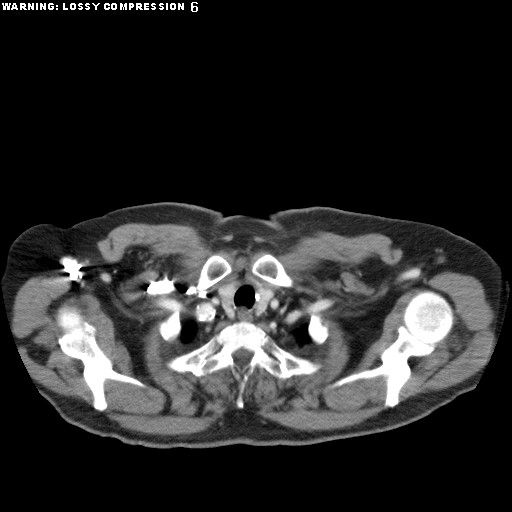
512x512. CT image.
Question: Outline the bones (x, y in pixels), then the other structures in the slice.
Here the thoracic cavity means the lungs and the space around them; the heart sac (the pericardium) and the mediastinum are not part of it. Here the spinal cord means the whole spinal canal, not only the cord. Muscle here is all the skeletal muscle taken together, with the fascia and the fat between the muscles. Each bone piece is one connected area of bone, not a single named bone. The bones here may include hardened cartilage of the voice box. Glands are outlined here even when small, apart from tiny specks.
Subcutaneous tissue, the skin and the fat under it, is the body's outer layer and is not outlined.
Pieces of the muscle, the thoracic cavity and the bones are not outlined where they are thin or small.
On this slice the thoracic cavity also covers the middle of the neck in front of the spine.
Answer: Outlines (x, y in pixels):
bones 1: (239, 321) (256, 324) (281, 347) (296, 356) (320, 363) (320, 368) (311, 374) (292, 375) (282, 379) (257, 366) (245, 384) (242, 408) (236, 406) (239, 381) (228, 367) (201, 376) (196, 376) (190, 371) (178, 372) (170, 369) (166, 365) (170, 358) (189, 352) (225, 326), around a hole outlined by (240, 348) (243, 348) (244, 349) (245, 349) (252, 353) (252, 355) (251, 356) (249, 361) (246, 364) (245, 364) (244, 365) (242, 365) (241, 366) (240, 365) (238, 365) (235, 362) (235, 360) (233, 357) (233, 353) (235, 351) (236, 351) (238, 349) (239, 349)
bones 2: (424, 290) (437, 292) (448, 301) (453, 312) (453, 326) (429, 354) (408, 359) (410, 376) (400, 389) (399, 402) (392, 407) (385, 407) (386, 386) (382, 376) (326, 388) (352, 373) (379, 366) (382, 363) (381, 352) (398, 336) (397, 329) (403, 323) (405, 307) (412, 297)
bones 3: (63, 305) (79, 310) (83, 318) (95, 327) (96, 342) (112, 362) (112, 368) (115, 371) (139, 380) (146, 387) (107, 379) (104, 382) (107, 407) (103, 411) (95, 409) (92, 405) (92, 392) (83, 377) (83, 363) (65, 354) (58, 343) (62, 329) (57, 324) (56, 313)
bones 4: (264, 253) (268, 253) (269, 254) (271, 254) (273, 256) (274, 256) (283, 265) (286, 272) (290, 276) (293, 281) (292, 286) (290, 287) (278, 286) (272, 283) (270, 283) (268, 281) (266, 281) (254, 275) (252, 273) (251, 269) (252, 268) (252, 265) (253, 263) (262, 254)
bones 5: (214, 254) (221, 254) (227, 260) (227, 261) (231, 266) (231, 272) (214, 284) (200, 291) (196, 289) (196, 283) (197, 282) (197, 279) (198, 278) (198, 276) (199, 275) (200, 270) (202, 266) (206, 261) (206, 260) (211, 255) (213, 255)
bones 6: (173, 310) (178, 310) (179, 312) (179, 318) (180, 319) (180, 322) (181, 323) (181, 330) (180, 331) (179, 336) (178, 336) (173, 341) (167, 341) (165, 340) (160, 334) (159, 332) (159, 329) (158, 328) (158, 323) (160, 321) (165, 319) (168, 316) (169, 316) (173, 312)
bones 7: (312, 313) (314, 313) (315, 314) (319, 315) (322, 318) (323, 321) (324, 322) (326, 322) (328, 324) (328, 335) (326, 339) (323, 342) (323, 343) (319, 345) (317, 345) (312, 342) (308, 334) (308, 330) (307, 328) (308, 327) (308, 323) (309, 322) (309, 320)
thoracic cavity: (240, 274) (261, 282) (245, 278) (256, 290) (258, 316) (266, 311) (275, 292) (307, 323) (311, 342) (278, 341) (266, 323) (248, 320) (218, 321) (204, 342) (183, 342) (182, 322) (196, 314) (201, 291) (217, 288) (223, 311) (234, 316) (233, 294) (241, 282) (233, 279)
spinal cord: (240, 348) (243, 348) (244, 349) (245, 349) (252, 353) (252, 355) (251, 356) (249, 361) (246, 364) (245, 364) (244, 365) (242, 365) (241, 366) (240, 365) (238, 365) (235, 362) (235, 360) (233, 357) (233, 353) (235, 351) (236, 351) (238, 349) (239, 349)
right arm: (77, 222) (77, 225) (82, 232) (84, 243) (89, 257) (89, 264) (91, 269) (90, 292) (76, 321) (24, 364) (20, 353) (18, 351) (10, 327) (2, 289) (2, 277) (5, 269) (8, 248) (12, 241) (21, 232) (32, 225) (39, 223) (53, 223) (61, 227) (69, 227)
torso: (158, 201) (193, 203) (226, 215) (259, 218) (282, 209) (320, 205) (419, 221) (405, 263) (406, 287) (415, 317) (449, 362) (478, 382) (470, 391) (406, 425) (305, 445) (152, 448) (102, 437) (66, 422) (39, 392) (25, 365) (77, 321) (91, 292) (90, 257) (78, 222)
thyroid glands 1: (232, 280) (238, 280) (240, 283) (234, 290) (232, 294) (232, 305) (233, 306) (233, 309) (234, 310) (234, 314) (232, 317) (230, 317) (227, 315) (224, 311) (224, 309) (222, 306) (222, 303) (221, 302) (221, 298) (218, 293) (218, 288) (221, 285) (225, 284)
thyroid glands 2: (246, 278) (248, 278) (251, 280) (254, 280) (257, 282) (259, 282) (271, 288) (271, 289) (273, 290) (273, 292) (274, 293) (273, 294) (273, 296) (269, 300) (265, 311) (260, 315) (258, 315) (256, 313) (257, 290) (256, 288) (249, 281) (248, 281) (246, 279)
left arm: (420, 221) (444, 227) (455, 234) (462, 236) (476, 243) (483, 248) (495, 260) (507, 276) (508, 296) (504, 316) (495, 345) (480, 378) (477, 378) (464, 373) (450, 362) (441, 349) (421, 327) (416, 317) (415, 309) (410, 298) (407, 287) (406, 263) (407, 257) (416, 235)
muscle 1: (129, 222) (187, 224) (206, 237) (232, 234) (240, 242) (275, 234) (292, 240) (314, 230) (346, 236) (381, 233) (403, 252) (398, 263) (379, 275) (392, 297) (446, 270) (481, 282) (495, 311) (489, 354) (462, 382) (400, 402) (411, 376) (409, 359) (429, 355) (454, 326) (449, 301) (424, 289) (404, 307) (397, 336) (380, 352) (379, 365) (325, 387) (383, 378) (387, 408) (360, 423) (307, 431) (246, 407) (229, 410) (205, 430) (189, 434) (125, 428) (104, 412) (105, 382) (147, 385) (113, 368) (97, 342) (96, 327) (80, 310) (66, 304) (57, 308) (57, 343) (65, 355) (82, 363) (90, 405) (33, 377) (13, 329) (12, 308) (19, 287) (36, 275) (67, 277) (89, 291) (109, 288) (112, 266) (103, 262) (96, 243), around a hole outlined by (264, 253) (283, 265) (293, 283) (284, 287) (261, 278) (261, 283) (279, 294) (302, 323) (312, 313) (319, 315) (328, 335) (319, 345) (276, 340) (320, 368) (282, 379) (257, 366) (243, 390) (244, 406) (238, 408) (239, 381) (228, 367) (201, 376) (167, 367) (170, 358) (202, 344) (179, 336) (167, 341) (158, 323) (173, 310) (181, 323) (196, 314) (202, 302) (197, 279) (211, 255) (221, 254) (231, 266) (211, 290) (240, 274) (253, 276) (252, 265)
muscle 2: (218, 322) (227, 322) (229, 324) (227, 324) (226, 325) (225, 325) (223, 327) (222, 327) (217, 332) (216, 332) (215, 333) (214, 333) (213, 334) (212, 334) (212, 330) (213, 329) (213, 328) (214, 327) (214, 326)